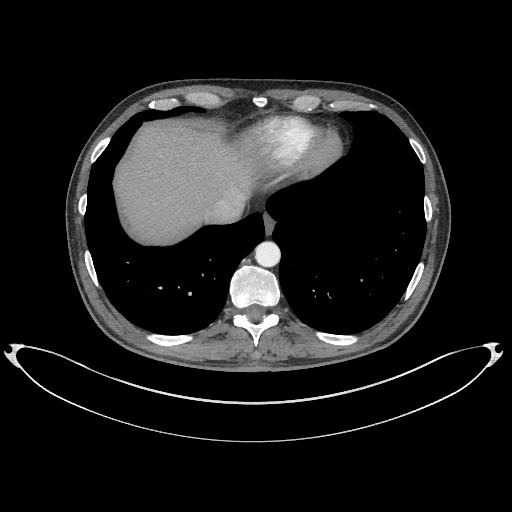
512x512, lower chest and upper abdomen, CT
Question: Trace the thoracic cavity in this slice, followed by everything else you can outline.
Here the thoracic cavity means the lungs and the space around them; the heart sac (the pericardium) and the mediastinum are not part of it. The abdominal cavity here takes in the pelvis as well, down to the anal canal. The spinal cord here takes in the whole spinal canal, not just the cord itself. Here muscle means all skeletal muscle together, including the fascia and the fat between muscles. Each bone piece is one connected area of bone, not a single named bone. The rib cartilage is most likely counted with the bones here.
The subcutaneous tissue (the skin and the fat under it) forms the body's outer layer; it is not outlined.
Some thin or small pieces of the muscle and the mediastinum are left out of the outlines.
Answer: The thoracic cavity appears in 2 outlined pieces: piece 1: 332 333; 356 333; 383 318; 401 297; 420 259; 424 241; 422 165; 397 126; 373 110; 343 111; 340 114; 353 126; 354 134; 348 153; 314 178; 272 194; 265 204; 266 211; 277 222; 272 236; 282 252; 279 283; 289 307; 305 324; piece 2: 163 334; 195 332; 215 320; 226 304; 232 273; 264 235; 259 212; 231 224; 206 226; 169 247; 141 246; 122 230; 111 179; 131 136; 144 120; 203 112; 194 105; 146 109; 133 115; 92 165; 87 188; 86 239; 104 291; 134 324. The pericardium is outlined by 260 193; 275 191; 296 181; 309 179; 323 171; 343 156; 348 144; 348 135; 344 127; 329 118; 323 118; 315 115; 293 111; 262 111; 245 117; 236 123; 226 127; 226 136; 232 149; 235 150; 244 160; 250 173; 255 179; 256 188. The bones appear in 14 outlined pieces: piece 1: 254 346; 257 345; 260 334; 266 328; 277 324; 279 317; 273 311; 273 308; 280 301; 281 292; 278 279; 272 272; 255 265; 242 265; 236 269; 233 273; 229 285; 230 301; 238 310; 233 315; 232 321; 234 325; 245 328; 251 334; inner edge: 255 322; 257 321; 259 321; 261 319; 262 316; 264 314; 265 314; 266 312; 266 308; 265 307; 263 307; 257 304; 253 304; 252 305; 250 305; 248 307; 244 309; 244 313; 249 318; 249 319; piece 2: 205 107; 218 107; 221 105; 223 105; 225 103; 225 102; 223 101; 222 99; 218 95; 214 93; 208 92; 207 91; 191 91; 185 94; 184 96; 184 99; 186 101; 192 104; 194 104; 195 105; 199 105; 200 106; 204 106; piece 3: 167 346; 169 345; 181 344; 182 343; 190 341; 193 339; 194 333; 192 333; 191 334; 182 334; 181 335; 163 335; 162 334; 158 334; 157 333; 150 332; 146 334; 146 338; 147 339; 154 343; 156 343; 160 345; 166 345; piece 4: 332 110; 349 110; 350 109; 352 109; 353 110; 372 110; 373 109; 374 110; 377 110; 378 109; 378 107; 377 105; 373 103; 366 103; 365 102; 361 102; 360 101; 340 100; 339 101; 333 101; 332 102; 330 102; 328 104; 328 106; piece 5: 304 112; 309 112; 310 111; 313 111; 316 108; 317 108; 319 106; 321 102; 321 99; 318 96; 316 96; 315 95; 301 95; 300 96; 297 96; 295 97; 291 102; 291 104; 290 105; 290 108; 294 110; 296 110; 297 111; 303 111; piece 6: 339 345; 347 345; 348 344; 351 344; 352 343; 356 342; 358 340; 358 336; 355 334; 332 334; 331 333; 322 332; 321 331; 318 331; 317 330; 314 332; 315 333; 315 335; 320 340; 322 340; 328 343; 331 343; 332 344; 338 344; piece 7: 159 110; 166 110; 167 109; 170 109; 176 106; 178 106; 181 104; 180 102; 180 100; 176 97; 170 97; 169 98; 164 98; 163 99; 158 99; 157 100; 151 100; 148 103; 147 105; 147 108; 152 108; 153 109; 158 109; piece 8: 404 300; 406 300; 409 297; 409 296; 413 291; 414 288; 416 286; 421 276; 421 274; 423 271; 423 267; 424 266; 424 263; 423 261; 421 260; 420 260; 417 264; 416 266; 416 268; 413 273; 413 275; 401 298; piece 9: 98 288; 101 288; 101 286; 98 281; 97 275; 96 274; 96 272; 95 271; 95 269; 93 265; 93 262; 92 261; 92 259; 91 258; 89 250; 87 248; 85 249; 84 251; 84 260; 85 261; 85 264; 86 265; 87 270; 93 282; piece 10: 92 164; 97 159; 97 158; 105 149; 105 148; 107 146; 107 145; 110 140; 110 137; 109 137; 108 136; 107 136; 106 137; 104 137; 97 143; 97 144; 95 146; 95 147; 92 151; 92 153; 91 154; 91 157; 90 158; 90 162; piece 11: 422 164; 424 164; 425 163; 425 156; 424 155; 424 153; 423 152; 422 147; 421 146; 421 145; 414 138; 413 138; 412 137; 409 137; 408 138; 408 140; 409 141; 412 148; 414 150; 415 153; 417 155; 419 160; 421 162; 421 163; piece 12: 426 222; 429 222; 431 220; 431 215; 432 214; 432 209; 431 208; 431 203; 430 202; 430 200; 429 199; 428 196; 426 194; 425 194; 424 195; 424 198; 423 199; 423 207; 424 208; 424 216; 425 217; 425 220; 426 221; piece 13: 82 216; 83 216; 84 215; 84 214; 85 213; 85 210; 86 209; 86 204; 87 203; 87 194; 86 193; 86 192; 85 193; 83 193; 81 195; 81 196; 80 197; 80 198; 79 199; 79 201; 78 202; 78 211; 79 212; 79 213; piece 14: 258 107; 264 107; 267 104; 267 103; 268 102; 268 101; 267 100; 267 99; 265 97; 264 97; 263 96; 261 96; 260 95; 256 95; 255 96; 254 96; 252 98; 252 102; 253 103; 253 104; 254 105; 255 105; 256 106; 257 106. The mediastinum appears in 3 outlined pieces: piece 1: 278 278; 281 252; 271 236; 276 222; 268 215; 264 208; 267 197; 275 192; 270 192; 267 194; 256 193; 248 200; 245 206; 243 217; 254 211; 259 211; 262 214; 265 231; 264 239; 241 260; 237 268; 242 264; 255 264; 272 271; piece 2: 226 126; 236 122; 245 116; 262 110; 293 110; 280 104; 269 104; 264 108; 258 108; 245 100; 237 100; 225 104; 223 106; 221 106; 218 108; 205 108; 206 110; 203 113; 186 112; 185 113; 209 113; 210 112; 221 112; 229 121; piece 3: 344 155; 349 150; 352 141; 353 134; 352 133; 352 126; 346 120; 342 118; 339 114; 342 111; 319 110; 318 111; 314 111; 307 113; 315 114; 318 116; 322 116; 323 117; 329 117; 337 121; 345 127; 349 135; 349 144; 346 153. The torso is outlined by 246 373; 308 369; 379 351; 407 332; 429 301; 449 243; 450 199; 442 167; 430 140; 412 114; 390 95; 365 85; 319 79; 206 77; 167 80; 142 87; 120 100; 83 145; 68 183; 65 229; 74 279; 97 326; 128 351; 156 361. The abdominal cavity is outlined by 144 246; 173 245; 206 225; 226 224; 242 218; 247 200; 257 191; 254 185; 254 179; 243 160; 231 149; 228 143; 225 136; 225 125; 228 121; 221 113; 180 114; 144 121; 132 136; 114 169; 112 188; 118 219; 123 230; 132 240. The spinal cord is outlined by 255 322; 257 321; 259 321; 261 319; 262 316; 264 314; 265 314; 266 312; 266 308; 265 307; 263 307; 257 304; 253 304; 252 305; 250 305; 248 307; 244 309; 244 313; 249 318; 249 319. The muscle is outlined by 243 365; 251 365; 257 363; 275 362; 276 361; 285 360; 290 357; 309 357; 310 358; 330 357; 331 356; 342 355; 351 352; 359 351; 374 344; 376 342; 383 340; 394 332; 413 312; 421 300; 430 282; 434 269; 436 236; 438 231; 438 218; 437 214; 439 209; 437 206; 438 197; 435 192; 434 170; 428 152; 420 139; 407 123; 394 110; 388 106; 378 101; 352 92; 344 91; 343 90; 336 90; 335 89; 310 88; 303 90; 297 90; 296 89; 288 89; 287 88; 270 88; 266 89; 262 92; 258 92; 255 90; 251 90; 245 88; 229 88; 228 87; 223 87; 217 85; 209 85; 208 84; 187 85; 181 87; 168 88; 154 92; 131 104; 97 136; 87 151; 79 174; 79 180; 77 184; 76 194; 73 204; 73 211; 74 212; 75 232; 78 244; 78 269; 84 289; 90 302; 97 313; 102 318; 104 322; 119 336; 128 342; 147 351; 156 354; 160 354; 176 358; 181 358; 192 361; 202 361; 206 359; 227 360; 228 361; 235 361, around a hole outlined by 167 346; 192 340; 228 301; 238 310; 233 324; 251 334; 254 346; 277 324; 273 308; 280 301; 320 340; 356 342; 357 332; 409 297; 423 271; 432 209; 421 145; 373 103; 340 100; 315 111; 321 102; 315 95; 297 96; 289 108; 268 105; 260 95; 251 103; 226 104; 207 91; 186 93; 191 105; 176 97; 151 100; 111 138; 101 139; 78 202; 85 264; 114 306; 147 329; 147 339.